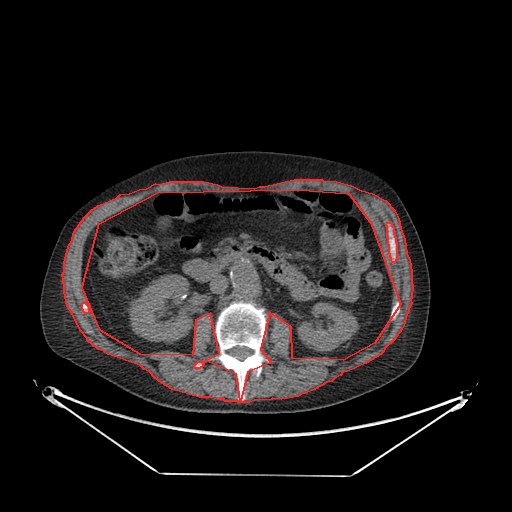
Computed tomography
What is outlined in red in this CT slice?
red: muscle.
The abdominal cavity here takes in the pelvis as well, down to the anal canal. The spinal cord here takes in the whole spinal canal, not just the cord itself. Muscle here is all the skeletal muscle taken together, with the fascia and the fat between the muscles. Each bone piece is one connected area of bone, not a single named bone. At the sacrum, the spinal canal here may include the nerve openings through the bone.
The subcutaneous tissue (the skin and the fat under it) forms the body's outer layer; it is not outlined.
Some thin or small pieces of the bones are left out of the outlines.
Outlines:
muscle: [[294,179],[321,179],[322,180],[336,181],[351,185],[361,190],[372,193],[385,200],[394,210],[398,218],[400,228],[404,239],[406,253],[409,260],[411,271],[411,283],[412,284],[411,298],[410,299],[411,303],[408,308],[408,312],[405,316],[404,323],[401,329],[394,339],[384,348],[383,351],[380,354],[365,363],[347,371],[342,372],[340,375],[334,378],[331,381],[326,382],[314,389],[305,393],[302,393],[297,396],[281,399],[272,398],[271,399],[254,400],[249,402],[238,402],[237,401],[225,401],[223,398],[222,399],[217,399],[210,397],[199,397],[172,389],[162,383],[154,377],[150,372],[144,369],[140,365],[108,354],[102,350],[98,349],[87,340],[87,338],[80,330],[72,313],[67,306],[64,291],[64,284],[62,281],[63,280],[62,274],[64,271],[64,263],[67,250],[69,244],[71,242],[74,231],[84,217],[91,210],[98,205],[117,197],[120,194],[129,193],[139,189],[146,188],[155,183],[159,184],[169,181],[203,181],[217,184],[221,186],[254,188],[259,186],[264,186]], around holes outlined by [[296,189],[348,193],[370,222],[400,304],[374,343],[343,360],[292,358],[291,327],[269,312],[260,349],[271,362],[247,372],[240,401],[236,374],[205,360],[219,353],[210,313],[195,320],[192,355],[140,354],[100,330],[82,287],[99,223],[157,192]] and by [[387,222],[390,222],[391,225],[393,227],[393,233],[394,234],[394,236],[395,237],[395,241],[396,242],[396,259],[394,262],[392,262],[391,260],[391,258],[390,257],[390,254],[389,253],[389,245],[388,244],[388,238],[387,237],[387,226],[386,225]] and by [[83,302],[84,302],[85,303],[86,303],[86,304],[88,306],[88,309],[89,310],[89,311],[87,313],[85,313],[83,311],[83,310],[82,309],[82,303]] and by [[198,361],[199,361],[200,361],[201,361],[202,361],[203,361],[203,362],[203,363],[203,364],[202,365],[202,366],[201,367],[200,367],[199,368],[198,368],[197,368],[196,368],[195,368],[194,367],[194,366],[194,365],[195,364],[196,363],[197,362]]
bones 1: [[232,301],[250,302],[257,307],[264,307],[267,314],[267,334],[260,349],[261,353],[271,362],[262,363],[258,377],[252,370],[247,372],[244,381],[246,398],[242,401],[237,399],[239,391],[236,374],[216,359],[205,360],[219,353],[214,326],[219,313]], around a hole outlined by [[235,346],[241,346],[242,347],[243,346],[244,346],[245,347],[247,347],[249,349],[250,349],[251,350],[251,354],[250,355],[247,356],[243,360],[239,360],[238,359],[237,359],[234,356],[232,356],[228,352],[228,351],[231,348],[232,348]]
bones 2: [[387,222],[390,222],[391,225],[393,227],[393,233],[394,234],[394,236],[395,237],[395,241],[396,242],[396,259],[394,262],[392,262],[391,260],[391,258],[390,257],[390,254],[389,253],[389,245],[388,244],[388,238],[387,237],[387,226],[386,225]]
bones 3: [[396,301],[399,301],[399,303],[400,304],[400,310],[399,311],[399,312],[398,313],[398,314],[397,315],[397,316],[396,317],[396,318],[393,321],[391,321],[390,320],[390,312],[391,311],[391,308],[392,307],[392,306],[395,303],[395,302]]
torso: [[245,150],[312,155],[355,164],[377,173],[395,189],[419,235],[430,278],[430,308],[425,339],[412,367],[379,388],[347,401],[313,410],[286,413],[197,413],[145,401],[52,351],[43,336],[39,299],[52,249],[68,218],[107,186],[154,164],[188,155]]
spinal cord: [[235,346],[241,346],[242,347],[243,346],[244,346],[245,347],[247,347],[249,349],[250,349],[251,350],[251,354],[250,355],[247,356],[243,360],[239,360],[238,359],[237,359],[234,356],[232,356],[228,352],[228,351],[231,348],[232,348]]
abdominal cavity: [[296,189],[348,193],[370,222],[392,291],[389,317],[374,343],[343,360],[292,358],[289,323],[276,312],[243,300],[224,306],[214,325],[207,312],[195,320],[192,355],[169,349],[140,354],[100,330],[82,287],[84,247],[99,223],[157,192]]